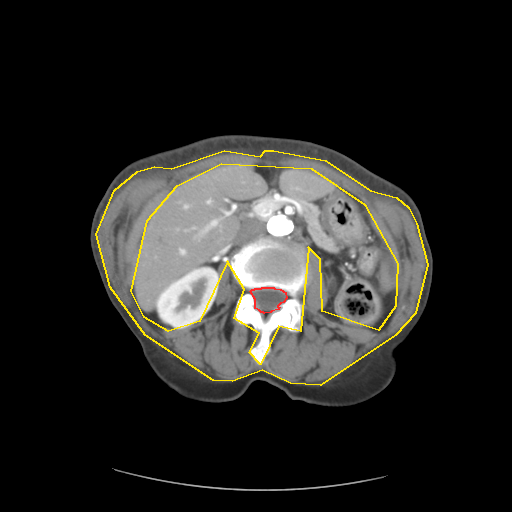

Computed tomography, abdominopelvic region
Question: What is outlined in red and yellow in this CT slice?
Answer: red: spinal cord; yellow: muscle.
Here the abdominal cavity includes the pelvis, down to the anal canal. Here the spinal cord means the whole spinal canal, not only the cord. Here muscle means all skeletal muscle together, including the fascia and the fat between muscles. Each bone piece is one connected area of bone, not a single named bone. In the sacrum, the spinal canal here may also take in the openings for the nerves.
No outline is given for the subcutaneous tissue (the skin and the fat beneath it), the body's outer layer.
The spinal cord is outlined by (262, 287) (273, 287) (274, 288) (280, 289) (285, 292) (286, 298) (283, 302) (280, 303) (277, 306) (279, 307) (278, 309) (271, 311) (270, 312) (264, 313) (263, 312) (261, 312) (259, 310) (255, 308) (255, 299) (250, 291) (252, 289) (254, 289) (255, 288) (261, 288). The muscle is outlined by (224, 150) (260, 156) (265, 150) (273, 150) (325, 160) (370, 190) (396, 197) (408, 207) (416, 223) (427, 264) (415, 313) (395, 335) (320, 385) (290, 383) (262, 370) (232, 381) (213, 380) (145, 335) (110, 287) (96, 234) (114, 190) (137, 171) (154, 166) (171, 168); inner edge: (221, 163) (311, 168) (364, 204) (397, 263) (395, 306) (378, 330) (322, 311) (320, 259) (308, 247) (300, 331) (278, 326) (260, 364) (249, 352) (259, 333) (234, 318) (244, 289) (227, 261) (199, 321) (168, 331) (144, 317) (131, 291) (147, 220) (177, 185). The bones are outlined by (259, 237) (300, 246) (308, 275) (306, 285) (298, 295) (303, 304) (300, 331) (291, 332) (278, 326) (269, 338) (270, 351) (262, 363) (257, 364) (249, 350) (258, 342) (259, 333) (251, 324) (239, 324) (234, 318) (234, 307) (244, 289) (225, 261) (243, 245), around a hole outlined by (262, 287) (273, 287) (274, 288) (280, 289) (285, 292) (286, 298) (283, 302) (280, 303) (277, 306) (279, 307) (278, 309) (271, 311) (270, 312) (264, 313) (263, 312) (261, 312) (259, 310) (255, 308) (255, 299) (250, 291) (252, 289) (254, 289) (255, 288) (261, 288). The torso is outlined by (227, 133) (292, 137) (331, 147) (399, 185) (415, 201) (433, 257) (430, 292) (419, 321) (394, 351) (394, 377) (370, 399) (344, 407) (320, 406) (293, 400) (262, 380) (231, 401) (184, 397) (156, 377) (110, 302) (92, 256) (89, 233) (96, 206) (111, 180) (137, 158). The abdominal cavity is outlined by (221, 163) (311, 168) (338, 182) (364, 204) (397, 263) (395, 306) (378, 330) (326, 315) (322, 311) (327, 295) (320, 259) (308, 247) (268, 236) (243, 244) (219, 264) (215, 302) (190, 327) (168, 331) (144, 317) (134, 305) (131, 291) (147, 220) (177, 185) (195, 172).